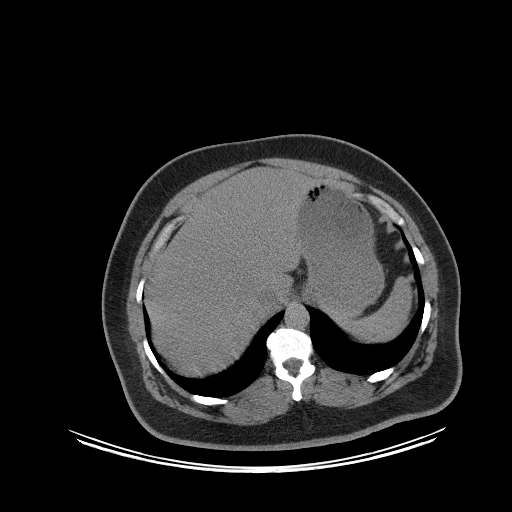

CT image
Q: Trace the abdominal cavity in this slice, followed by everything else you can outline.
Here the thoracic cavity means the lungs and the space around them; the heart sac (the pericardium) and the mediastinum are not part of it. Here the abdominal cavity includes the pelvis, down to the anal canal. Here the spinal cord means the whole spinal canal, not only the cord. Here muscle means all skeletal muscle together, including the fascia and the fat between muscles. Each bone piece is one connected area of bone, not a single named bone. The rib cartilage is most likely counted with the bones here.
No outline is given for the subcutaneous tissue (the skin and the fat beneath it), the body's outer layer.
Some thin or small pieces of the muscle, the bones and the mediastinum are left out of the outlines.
A: abdominal cavity: 255 163; 296 171; 334 186; 395 223; 411 262; 417 309; 391 341; 362 344; 344 335; 319 311; 290 301; 261 327; 233 365; 201 379; 179 375; 168 368; 152 343; 148 314; 142 307; 146 280; 160 249; 177 224; 188 218; 194 197
torso: 289 133; 331 136; 371 151; 397 170; 435 215; 451 246; 459 272; 458 334; 462 357; 459 389; 452 401; 437 413; 341 443; 278 451; 230 451; 161 440; 148 432; 131 411; 102 325; 103 277; 122 219; 140 186; 173 157; 210 144
spinal cord: 291 358; 294 358; 295 359; 298 359; 301 361; 301 364; 300 365; 300 366; 299 367; 299 368; 298 369; 297 372; 295 374; 292 374; 291 373; 290 373; 289 372; 289 371; 284 366; 284 362; 285 361; 286 361; 287 360; 288 360
bones 1: 280 327; 293 328; 308 334; 314 351; 311 361; 315 365; 315 370; 310 376; 302 381; 300 385; 301 399; 299 401; 292 398; 291 394; 293 386; 288 381; 279 379; 275 375; 274 366; 268 357; 269 351; 266 345; 266 340; 271 332; inner edge: 291 358; 294 358; 295 359; 298 359; 301 361; 301 364; 300 365; 300 366; 299 367; 299 368; 298 369; 297 372; 295 374; 292 374; 291 373; 290 373; 289 372; 289 371; 284 366; 284 362; 285 361; 286 361; 287 360; 288 360
bones 2: 368 194; 373 194; 381 198; 383 200; 387 202; 404 219; 405 224; 403 226; 400 226; 398 225; 389 217; 388 217; 387 215; 386 215; 384 213; 380 211; 377 208; 376 208; 373 205; 369 203; 366 200; 366 196
bones 3: 178 217; 179 217; 180 219; 177 221; 174 229; 171 232; 169 237; 167 239; 165 243; 159 249; 159 250; 157 252; 153 253; 152 254; 150 254; 150 251; 152 248; 152 246; 162 228; 166 224; 167 224; 175 218; 177 218
bones 4: 191 394; 197 394; 201 396; 207 396; 208 397; 213 397; 214 398; 226 398; 228 400; 228 401; 227 403; 225 404; 217 404; 216 405; 207 405; 206 404; 202 404; 201 403; 199 403; 198 402; 196 402; 192 400; 190 398; 190 396
bones 5: 144 337; 146 338; 148 342; 148 344; 156 360; 158 362; 159 365; 163 369; 167 376; 163 375; 155 368; 155 367; 152 364; 152 363; 148 358; 147 355; 145 353; 144 351; 144 348; 143 347; 143 344; 142 343; 142 341
bones 6: 392 366; 394 367; 394 370; 390 374; 390 375; 388 376; 385 379; 383 379; 382 380; 380 380; 376 382; 369 382; 366 380; 367 377; 369 375; 375 372; 384 370
bones 7: 425 299; 428 299; 428 300; 430 302; 430 304; 431 305; 431 311; 430 312; 429 320; 427 323; 427 326; 424 331; 420 334; 419 333; 419 330; 420 329; 420 326; 421 325; 421 322; 422 321; 422 317; 423 316; 423 311; 424 310
bones 8: 141 278; 144 278; 145 279; 145 282; 144 283; 144 286; 143 287; 143 290; 142 291; 142 296; 141 297; 141 303; 138 303; 136 301; 136 290; 137 289; 137 286; 138 285; 138 283; 139 282; 139 281; 140 280; 140 279
bones 9: 411 244; 413 244; 414 245; 415 245; 419 249; 420 252; 422 254; 422 255; 424 258; 424 263; 423 264; 422 264; 421 265; 419 265; 418 264; 418 263; 415 258; 415 256; 414 255; 414 253; 413 252; 413 250; 411 247
mediastinum: 294 301; 301 302; 303 304; 305 304; 306 306; 306 309; 309 315; 309 333; 307 333; 302 330; 293 327; 288 327; 287 326; 280 326; 277 327; 284 315; 284 311; 282 310; 284 307; 290 302; 293 302
muscle: 267 157; 301 159; 339 168; 383 191; 403 206; 418 227; 436 263; 439 288; 437 344; 432 362; 421 376; 378 400; 349 409; 320 405; 312 400; 300 401; 303 381; 316 370; 312 361; 314 354; 335 370; 367 376; 365 380; 369 383; 385 380; 391 375; 394 366; 409 351; 418 333; 420 335; 425 331; 430 320; 432 305; 425 298; 419 267; 425 263; 425 258; 420 249; 409 242; 402 227; 406 224; 405 219; 381 197; 368 193; 364 200; 364 195; 359 191; 350 194; 296 170; 261 162; 252 163; 195 195; 188 205; 187 218; 180 224; 178 221; 181 218; 178 216; 161 228; 149 251; 150 255; 157 253; 149 275; 146 279; 139 279; 135 290; 135 301; 141 304; 144 353; 160 374; 189 392; 192 401; 207 406; 227 404; 229 400; 226 397; 249 386; 260 375; 268 358; 274 375; 292 386; 290 395; 297 402; 284 414; 267 422; 239 425; 211 421; 161 403; 146 389; 135 344; 127 329; 126 300; 131 272; 144 237; 178 191; 213 171
thoracic cavity 1: 396 224; 402 228; 410 244; 422 282; 424 304; 417 335; 405 355; 394 365; 368 375; 335 369; 315 353; 309 334; 310 315; 307 306; 329 319; 352 342; 362 345; 379 345; 391 342; 406 329; 418 309; 418 286; 414 277; 412 262
thoracic cavity 2: 143 307; 149 322; 151 343; 162 362; 179 376; 200 380; 217 375; 233 366; 242 358; 262 327; 278 312; 283 311; 283 315; 265 340; 268 354; 259 375; 249 385; 235 393; 225 397; 214 397; 191 393; 168 376; 157 360; 146 337